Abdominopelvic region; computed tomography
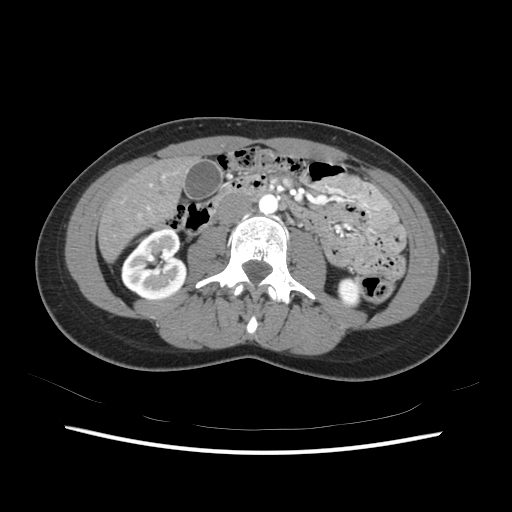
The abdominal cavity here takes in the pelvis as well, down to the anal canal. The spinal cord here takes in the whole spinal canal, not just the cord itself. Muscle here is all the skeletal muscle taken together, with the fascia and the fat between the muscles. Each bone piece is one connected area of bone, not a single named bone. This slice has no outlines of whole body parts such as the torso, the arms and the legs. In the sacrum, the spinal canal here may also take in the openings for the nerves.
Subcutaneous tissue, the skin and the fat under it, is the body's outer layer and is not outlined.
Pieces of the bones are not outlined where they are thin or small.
The abdominal cavity is outlined by (257, 143) (352, 167) (387, 193) (407, 230) (409, 263) (383, 310) (342, 309) (325, 290) (316, 239) (293, 229) (288, 241) (267, 216) (238, 224) (229, 246) (221, 226) (202, 234) (187, 252) (184, 284) (167, 299) (129, 304) (112, 291) (95, 247) (110, 188) (161, 158). The muscle is outlined by (213, 135) (237, 135) (253, 139) (271, 138) (272, 137) (296, 137) (308, 139) (337, 147) (352, 154) (370, 165) (378, 167) (393, 174) (400, 179) (413, 192) (423, 205) (430, 219) (436, 237) (436, 242) (439, 251) (438, 275) (435, 285) (430, 295) (420, 305) (417, 312) (411, 317) (393, 325) (379, 329) (348, 333) (332, 350) (327, 353) (317, 356) (301, 356) (285, 352) (272, 351) (269, 349) (263, 348) (255, 343) (248, 342) (217, 350) (186, 350) (176, 348) (168, 344) (162, 339) (154, 325) (149, 321) (113, 315) (95, 306) (88, 301) (83, 296) (77, 283) (70, 275) (66, 267) (64, 258) (66, 226) (69, 221) (72, 211) (83, 192) (93, 181) (103, 173) (120, 163) (146, 155) (172, 143) (177, 143) (189, 139), around holes outlined by (257, 143) (352, 167) (387, 193) (409, 263) (383, 310) (342, 309) (325, 290) (316, 239) (298, 229) (287, 267) (314, 300) (196, 288) (229, 261) (221, 226) (189, 247) (171, 297) (129, 304) (112, 291) (95, 247) (110, 188) (161, 158) and by (252, 315) (254, 315) (256, 317) (256, 319) (257, 320) (257, 322) (258, 323) (258, 324) (257, 325) (257, 327) (256, 328) (255, 331) (252, 334) (250, 334) (247, 332) (247, 331) (246, 330) (246, 326) (247, 325) (247, 323) (248, 322) (249, 319) (251, 317) (251, 316). The spinal cord is outlined by (251, 260) (255, 260) (256, 261) (263, 261) (267, 264) (268, 264) (271, 267) (272, 269) (270, 273) (266, 275) (262, 279) (261, 279) (258, 282) (256, 283) (254, 283) (250, 280) (250, 279) (248, 277) (248, 276) (246, 274) (246, 273) (243, 269) (243, 264). The bones are outlined by (260, 217) (267, 217) (281, 226) (288, 242) (288, 270) (295, 280) (315, 295) (314, 300) (299, 291) (291, 290) (288, 304) (273, 301) (265, 295) (260, 300) (253, 301) (246, 291) (233, 296) (216, 281) (195, 287) (199, 280) (220, 272) (226, 266) (235, 228) (250, 218) with a hole at (251, 260) (255, 260) (256, 261) (263, 261) (267, 264) (268, 264) (271, 267) (272, 269) (270, 273) (266, 275) (262, 279) (261, 279) (258, 282) (256, 283) (254, 283) (250, 280) (250, 279) (248, 277) (248, 276) (246, 274) (246, 273) (243, 269) (243, 264).